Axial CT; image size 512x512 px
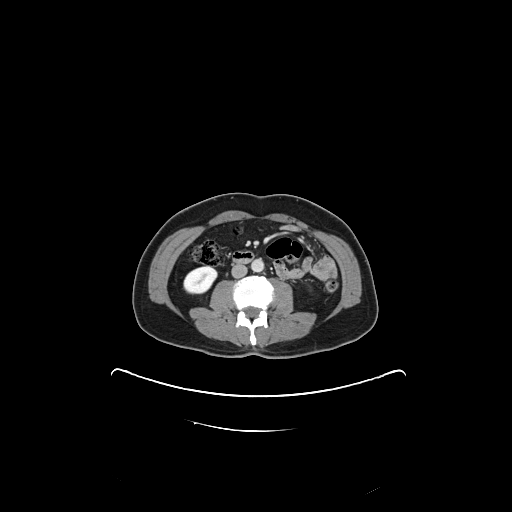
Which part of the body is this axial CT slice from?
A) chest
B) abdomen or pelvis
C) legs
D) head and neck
B) abdomen or pelvis
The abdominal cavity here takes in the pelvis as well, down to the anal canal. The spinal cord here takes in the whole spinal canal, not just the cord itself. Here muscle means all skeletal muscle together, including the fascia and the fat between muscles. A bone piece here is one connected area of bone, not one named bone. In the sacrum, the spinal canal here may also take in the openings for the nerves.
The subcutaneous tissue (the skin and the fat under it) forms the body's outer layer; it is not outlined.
The muscle is outlined by 227 210; 240 210; 258 216; 284 213; 341 238; 349 245; 359 265; 362 287; 360 302; 296 340; 274 347; 253 348; 251 346; 243 348; 206 337; 165 306; 152 301; 149 298; 147 285; 149 268; 158 247; 164 239; 181 228; 205 223; inner edge: 247 219; 306 232; 333 256; 341 277; 339 300; 320 318; 314 311; 294 310; 292 286; 271 277; 274 299; 267 326; 254 329; 255 345; 249 329; 236 326; 233 279; 215 284; 208 307; 186 312; 168 289; 177 258; 198 236; 218 224. The torso is outlined by 229 192; 257 195; 292 194; 312 201; 341 218; 357 237; 370 264; 379 308; 374 326; 359 339; 335 349; 281 359; 269 359; 258 355; 219 357; 170 345; 144 332; 135 319; 132 286; 136 267; 145 247; 164 222; 179 210; 206 198. The abdominal cavity is outlined by 247 219; 295 226; 326 248; 337 262; 341 277; 340 297; 331 311; 319 318; 314 311; 294 310; 292 286; 276 277; 269 279; 261 274; 219 280; 211 291; 208 307; 192 306; 185 312; 174 303; 168 284; 173 266; 184 249; 213 226. The spinal cord is outlined by 250 306; 251 307; 254 307; 255 308; 258 308; 259 309; 259 312; 258 313; 258 314; 256 317; 254 317; 253 318; 250 318; 249 317; 247 317; 247 316; 246 315; 246 314; 244 311; 244 309; 245 308; 246 308; 247 307; 249 307. The bones are outlined by 248 275; 264 276; 270 281; 274 288; 274 299; 269 304; 267 309; 267 326; 265 327; 260 325; 254 329; 254 335; 256 339; 255 345; 252 345; 250 343; 249 329; 243 325; 236 326; 238 310; 232 299; 232 286; 233 284; 235 281, around a hole outlined by 250 306; 251 307; 254 307; 255 308; 258 308; 259 309; 259 312; 258 313; 258 314; 256 317; 254 317; 253 318; 250 318; 249 317; 247 317; 247 316; 246 315; 246 314; 244 311; 244 309; 245 308; 246 308; 247 307; 249 307.